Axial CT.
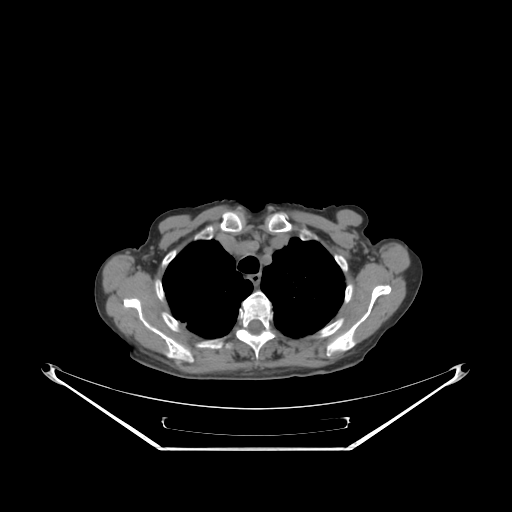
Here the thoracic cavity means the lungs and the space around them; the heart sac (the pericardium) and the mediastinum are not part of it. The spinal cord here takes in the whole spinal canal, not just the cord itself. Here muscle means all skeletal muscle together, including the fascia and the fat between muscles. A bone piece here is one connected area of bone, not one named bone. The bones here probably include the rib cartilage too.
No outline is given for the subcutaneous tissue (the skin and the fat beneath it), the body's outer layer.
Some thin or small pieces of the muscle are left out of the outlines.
{"mediastinum":[[[257,230],[277,236],[284,235],[293,236],[289,239],[288,243],[285,246],[273,252],[271,263],[266,265],[262,270],[259,288],[254,289],[251,281],[249,279],[244,278],[235,269],[234,258],[224,249],[221,244],[214,237],[224,233],[237,235]]],"thoracic_cavity":[[[213,238],[233,258],[234,269],[244,279],[250,281],[253,290],[241,301],[238,308],[236,322],[234,326],[225,335],[214,338],[204,338],[189,330],[184,322],[177,319],[171,313],[163,287],[162,279],[168,265],[177,254],[188,244],[193,241],[210,240]],[[294,236],[298,237],[302,241],[318,241],[332,256],[341,270],[344,275],[345,284],[342,304],[331,321],[315,332],[299,337],[286,335],[275,327],[273,305],[266,294],[260,288],[263,270],[266,266],[272,263],[274,252],[285,247],[289,243],[290,239]]],"muscle":[{"outer":[[224,204],[231,206],[241,206],[248,212],[254,215],[258,215],[263,213],[269,207],[294,209],[309,212],[317,215],[334,214],[338,210],[341,209],[350,209],[355,211],[361,215],[363,219],[362,222],[356,228],[358,234],[358,258],[356,263],[354,264],[355,269],[357,270],[365,262],[369,254],[377,247],[389,242],[396,242],[401,244],[407,250],[409,254],[411,267],[409,286],[406,290],[406,294],[404,299],[396,311],[371,336],[358,344],[352,350],[351,353],[335,362],[325,366],[314,368],[298,367],[297,366],[293,367],[282,366],[262,369],[257,368],[249,371],[237,370],[222,373],[218,372],[213,373],[186,373],[171,367],[159,359],[144,352],[135,345],[130,339],[127,338],[118,329],[110,319],[106,313],[103,304],[102,271],[105,264],[114,255],[128,252],[130,255],[136,258],[138,264],[144,270],[150,273],[153,273],[156,269],[157,262],[160,259],[160,255],[158,252],[158,243],[162,236],[159,232],[158,224],[162,220],[169,216],[179,214],[191,214],[194,212],[203,211],[211,207]],"holes":[[[227,211],[243,218],[239,234],[257,230],[268,233],[266,218],[273,213],[284,213],[292,229],[273,235],[297,237],[305,227],[318,237],[332,256],[339,254],[346,260],[348,269],[344,283],[351,283],[353,290],[350,300],[340,306],[331,320],[344,318],[335,333],[325,337],[309,334],[292,337],[278,330],[276,337],[263,344],[256,358],[252,348],[235,336],[233,327],[225,335],[225,340],[232,344],[230,348],[199,348],[195,343],[203,337],[186,326],[174,331],[165,323],[161,312],[170,313],[171,310],[167,302],[158,298],[154,287],[155,279],[161,280],[164,275],[161,265],[164,256],[173,249],[181,251],[207,225],[214,226],[215,237],[225,233],[219,228],[219,223]],[[381,284],[388,284],[391,287],[391,290],[388,294],[382,294],[376,298],[369,315],[355,329],[353,334],[353,338],[356,341],[355,345],[348,350],[336,351],[330,356],[327,356],[326,355],[327,344],[337,336],[348,330],[366,312],[370,302],[373,288]],[[133,297],[137,298],[140,301],[142,314],[144,318],[152,326],[187,347],[190,350],[193,357],[192,362],[188,362],[175,358],[169,358],[164,354],[164,352],[168,349],[164,339],[155,332],[147,328],[143,324],[135,308],[125,307],[123,305],[124,298]]]}],"torso":[[[225,198],[251,210],[268,202],[315,208],[360,206],[368,215],[364,233],[372,242],[397,237],[419,256],[423,275],[412,304],[361,362],[329,374],[260,381],[189,380],[138,363],[97,312],[94,279],[99,266],[115,250],[142,244],[159,214]]],"bones":[{"outer":[[258,289],[260,289],[265,294],[272,305],[273,325],[277,331],[276,332],[276,337],[268,340],[263,344],[259,350],[258,357],[256,358],[252,348],[248,344],[238,339],[235,336],[234,334],[234,327],[237,322],[239,308],[241,306],[242,301],[254,290]],"hole":[[253,320],[258,320],[262,324],[262,325],[263,326],[263,329],[258,334],[254,334],[253,333],[252,333],[251,332],[250,332],[247,329],[247,327],[248,326],[248,325],[249,324],[249,323],[251,321],[252,321]]},[[381,284],[388,284],[391,287],[391,290],[388,294],[382,294],[376,298],[369,315],[355,329],[353,334],[353,338],[356,341],[355,345],[348,350],[336,351],[330,356],[327,356],[326,355],[327,344],[337,336],[348,330],[366,312],[370,302],[373,288]],[[133,297],[137,298],[140,301],[142,314],[144,318],[152,326],[187,347],[190,350],[193,357],[192,362],[188,362],[175,358],[169,358],[164,354],[164,352],[168,349],[164,339],[155,332],[147,328],[143,324],[135,308],[125,307],[123,305],[124,298]],[[278,212],[281,212],[282,213],[284,213],[286,214],[288,218],[288,220],[292,224],[292,229],[290,231],[288,231],[287,232],[278,232],[277,233],[271,233],[268,231],[267,229],[267,226],[265,222],[265,220],[266,218],[273,213],[277,213]],[[227,211],[232,211],[233,212],[235,212],[243,218],[244,220],[244,224],[240,232],[238,233],[234,233],[233,232],[226,232],[225,231],[222,231],[219,228],[219,223],[222,219],[222,215],[223,213]],[[223,336],[225,336],[225,340],[226,341],[229,341],[231,342],[232,344],[232,346],[230,348],[227,348],[224,346],[220,348],[199,348],[195,346],[195,343],[196,342],[201,341],[204,339],[214,339],[215,338],[219,338]],[[340,317],[343,317],[344,318],[344,322],[341,326],[341,327],[335,333],[334,333],[329,336],[326,336],[325,337],[312,337],[311,336],[310,336],[310,335],[315,333],[318,330],[321,329],[330,322],[332,322],[333,321],[336,320]],[[163,311],[165,311],[166,312],[168,312],[170,313],[177,320],[178,320],[182,323],[184,323],[185,324],[185,326],[181,326],[180,327],[180,330],[179,331],[174,331],[172,330],[165,323],[165,322],[163,320],[161,316],[161,312]],[[210,224],[211,225],[212,225],[213,226],[214,226],[214,236],[212,238],[211,238],[210,239],[198,239],[197,240],[193,240],[193,237],[194,236],[194,235],[197,232],[198,232],[201,229],[202,229],[204,227],[205,227],[207,225],[209,225]],[[157,278],[161,280],[162,287],[163,288],[163,290],[165,294],[165,298],[166,299],[166,302],[163,302],[161,301],[158,298],[156,294],[156,292],[155,291],[155,288],[154,287],[154,281],[155,279]],[[303,227],[305,227],[307,229],[308,229],[312,233],[313,233],[314,234],[315,234],[318,237],[318,240],[315,240],[314,239],[310,239],[309,240],[302,240],[298,236],[298,235],[299,234],[299,231]],[[173,249],[176,249],[178,252],[176,254],[176,255],[174,257],[174,258],[167,265],[167,266],[165,268],[165,269],[163,269],[162,268],[162,266],[161,265],[161,263],[162,262],[162,260],[163,259],[163,258],[164,257],[164,256],[169,251],[170,251]],[[334,254],[339,254],[340,255],[341,255],[346,260],[346,261],[347,262],[347,265],[348,266],[348,269],[347,270],[347,271],[345,274],[344,274],[343,273],[342,270],[340,268],[340,267],[336,262],[335,259],[333,257],[333,255]],[[349,283],[351,283],[353,285],[353,290],[352,291],[352,295],[351,296],[351,298],[350,299],[350,300],[347,303],[346,303],[345,304],[343,304],[343,302],[344,301],[344,294],[345,293],[345,288],[346,287],[346,285],[347,284],[348,284]]],"spinal_cord":[[[253,320],[258,320],[262,324],[262,325],[263,326],[263,329],[258,334],[254,334],[253,333],[252,333],[251,332],[250,332],[247,329],[247,327],[248,326],[248,325],[249,324],[249,323],[251,321],[252,321]]]}